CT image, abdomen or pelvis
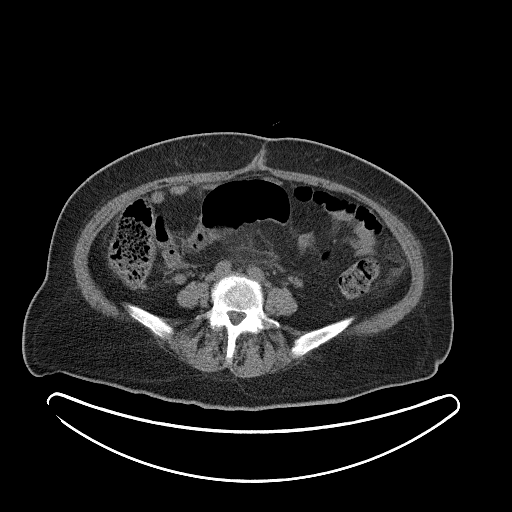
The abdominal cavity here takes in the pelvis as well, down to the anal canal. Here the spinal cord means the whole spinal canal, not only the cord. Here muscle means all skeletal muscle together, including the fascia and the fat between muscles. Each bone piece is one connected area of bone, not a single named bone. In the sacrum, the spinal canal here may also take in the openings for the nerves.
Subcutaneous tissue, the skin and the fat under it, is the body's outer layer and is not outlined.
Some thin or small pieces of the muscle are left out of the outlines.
Outlines:
torso: [[207,132],[242,132],[326,144],[380,167],[424,200],[442,224],[453,254],[453,338],[447,356],[430,378],[337,403],[249,411],[208,409],[62,372],[35,376],[28,370],[21,343],[24,317],[45,277],[54,226],[70,195],[93,173],[132,151],[171,138]]
muscle 1: [[254,159],[268,167],[311,174],[343,184],[379,202],[396,215],[411,230],[422,247],[424,286],[419,302],[409,313],[389,329],[377,334],[335,338],[326,342],[345,330],[356,317],[357,321],[370,317],[392,306],[407,293],[412,277],[408,259],[384,220],[368,204],[341,191],[284,179],[265,170],[247,171],[228,179],[196,185],[178,183],[158,187],[130,199],[95,235],[87,254],[87,266],[92,279],[109,300],[120,308],[123,306],[133,319],[162,339],[168,338],[174,332],[174,328],[160,316],[187,318],[197,312],[196,308],[185,308],[178,304],[176,297],[178,292],[193,281],[205,282],[209,288],[211,306],[195,317],[204,317],[211,329],[225,330],[225,360],[229,364],[234,356],[237,338],[241,334],[258,334],[271,327],[278,329],[281,324],[308,331],[293,340],[289,352],[295,359],[312,350],[310,355],[287,369],[254,377],[236,377],[227,368],[203,372],[179,360],[158,345],[151,334],[138,323],[105,316],[89,305],[77,287],[72,260],[80,233],[96,209],[117,195],[149,181],[180,173],[234,170]]
muscle 2: [[270,287],[279,287],[280,288],[286,288],[288,290],[289,290],[289,291],[291,293],[291,295],[294,298],[297,303],[297,309],[293,313],[287,316],[280,316],[276,318],[273,318],[269,316],[264,310],[264,300],[266,298],[266,291],[268,289],[268,288]]
abdominal cavity: [[252,171],[375,210],[407,259],[406,293],[360,320],[348,315],[310,330],[275,319],[298,309],[289,289],[270,286],[264,299],[261,284],[241,273],[222,276],[210,293],[205,281],[180,289],[177,304],[196,309],[187,317],[109,299],[88,254],[130,200]]
bones 1: [[230,274],[241,274],[260,284],[263,293],[263,310],[269,317],[278,321],[280,326],[264,328],[258,333],[241,333],[236,338],[235,349],[229,363],[226,360],[226,330],[223,327],[211,328],[209,321],[204,316],[196,317],[212,306],[211,288],[213,284]]; inner edge: [[230,311],[233,311],[234,312],[236,312],[237,313],[243,313],[244,314],[244,316],[242,318],[242,319],[238,323],[237,323],[236,324],[234,324],[231,321],[231,320],[230,319],[230,317],[229,316],[229,315],[228,314],[228,312],[229,312]]
bones 2: [[348,316],[354,316],[355,317],[354,320],[345,329],[337,335],[321,344],[316,348],[314,348],[308,351],[303,355],[301,355],[295,358],[293,357],[290,351],[293,345],[293,342],[296,338],[304,334],[306,332],[320,328],[323,326],[325,326]]
bones 3: [[126,302],[137,305],[141,308],[153,314],[155,314],[161,317],[173,328],[173,332],[170,335],[169,335],[168,337],[166,338],[162,338],[154,334],[149,328],[146,327],[144,325],[137,321],[129,314],[127,310],[124,308],[124,306],[123,305],[124,303]]
spinal cord: [[230,311],[233,311],[234,312],[236,312],[237,313],[243,313],[244,314],[244,316],[242,318],[242,319],[238,323],[237,323],[236,324],[234,324],[231,321],[231,320],[230,319],[230,317],[229,316],[229,315],[228,314],[228,312],[229,312]]